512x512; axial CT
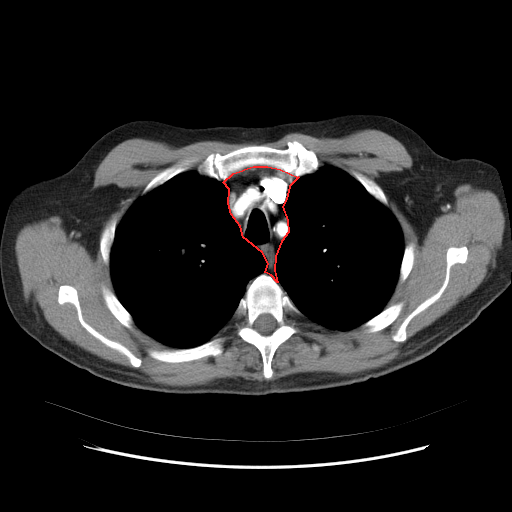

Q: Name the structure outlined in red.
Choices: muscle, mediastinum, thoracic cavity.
A: red: mediastinum.
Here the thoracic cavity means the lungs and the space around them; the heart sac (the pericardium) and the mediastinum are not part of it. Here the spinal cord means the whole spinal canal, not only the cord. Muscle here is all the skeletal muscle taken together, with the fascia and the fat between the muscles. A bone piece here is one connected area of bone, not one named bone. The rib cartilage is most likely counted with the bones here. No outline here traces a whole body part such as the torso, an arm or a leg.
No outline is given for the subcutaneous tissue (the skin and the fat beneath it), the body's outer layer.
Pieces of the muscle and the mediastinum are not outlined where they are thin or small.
{"mediastinum":[[[253,166],[267,166],[280,169],[298,177],[289,186],[286,199],[282,206],[287,220],[288,232],[281,241],[275,256],[274,270],[277,282],[271,275],[265,272],[268,263],[262,252],[243,237],[240,226],[231,214],[228,203],[229,189],[223,182],[233,173]]],"bones":[{"outer":[[263,273],[275,280],[302,314],[301,317],[295,319],[299,331],[276,348],[271,360],[273,373],[269,379],[266,379],[263,375],[263,361],[260,351],[254,345],[244,341],[236,333],[238,320],[234,317],[234,313],[241,298],[245,294],[247,286],[252,280]],"hole":[[261,314],[270,314],[275,319],[275,320],[276,321],[276,324],[277,325],[276,326],[276,327],[273,330],[273,331],[272,331],[269,334],[262,334],[261,333],[260,333],[257,330],[256,330],[254,328],[254,323],[255,322],[255,321],[256,320],[256,319]]},[[293,140],[298,141],[308,150],[312,150],[321,163],[318,169],[312,173],[295,176],[280,168],[267,165],[253,165],[233,172],[225,181],[222,181],[202,175],[197,171],[200,163],[211,153],[224,155],[249,145],[265,145],[284,149],[287,147],[287,142]],[[214,338],[223,338],[223,342],[221,345],[221,348],[223,351],[222,353],[215,356],[208,355],[198,359],[194,359],[189,361],[166,362],[153,358],[147,352],[148,348],[153,348],[159,350],[162,349],[173,349],[174,348],[176,349],[192,348],[199,346]],[[452,246],[466,246],[466,261],[464,263],[455,263],[450,267],[449,279],[445,289],[438,299],[416,314],[409,321],[406,326],[406,339],[404,341],[393,340],[392,335],[396,332],[407,316],[422,302],[433,295],[442,285],[446,272],[447,250],[449,247]],[[61,285],[70,285],[74,287],[77,291],[78,301],[83,319],[90,326],[108,339],[116,341],[126,347],[141,360],[140,366],[132,366],[128,358],[124,354],[106,345],[82,326],[78,319],[76,307],[72,303],[65,302],[60,304],[58,302],[58,290]],[[401,301],[403,302],[403,306],[398,316],[388,326],[378,331],[375,331],[374,332],[366,332],[365,330],[360,326],[362,324],[363,324],[374,316],[377,315],[386,307],[394,303],[396,303],[397,302],[400,302]],[[102,285],[104,285],[106,287],[107,287],[115,294],[116,297],[118,299],[120,303],[130,314],[134,322],[132,326],[132,328],[128,328],[124,325],[123,325],[114,316],[114,315],[107,307],[104,301],[103,296],[102,295],[102,290],[101,289],[101,287]],[[191,158],[195,159],[195,161],[187,170],[176,174],[162,184],[151,189],[146,193],[142,194],[142,191],[146,186],[146,185],[152,179],[152,178],[153,178],[163,169],[167,167],[169,167],[178,162],[180,162],[181,161],[183,161],[187,159],[190,159]],[[114,214],[116,214],[116,220],[117,221],[117,224],[116,225],[116,228],[115,229],[115,233],[114,234],[113,242],[112,243],[112,245],[110,249],[110,253],[109,254],[109,265],[106,265],[103,261],[102,255],[100,251],[100,235],[105,223]],[[352,171],[358,172],[368,177],[370,179],[373,180],[377,184],[378,184],[384,192],[387,198],[387,201],[388,202],[388,206],[384,205],[382,203],[378,201],[375,198],[374,198],[366,190],[366,189],[362,185],[362,184],[353,176],[351,172]],[[411,242],[413,243],[414,245],[414,250],[413,251],[414,253],[414,259],[413,260],[413,264],[411,270],[409,272],[405,280],[401,283],[399,283],[398,282],[398,279],[399,278],[399,273],[400,272],[400,266],[404,254],[404,249],[405,246]]],"thoracic_cavity":[[[192,170],[202,176],[221,181],[227,186],[230,214],[239,226],[242,237],[261,252],[267,266],[264,272],[249,282],[233,316],[213,337],[196,346],[176,348],[156,340],[135,323],[115,293],[110,273],[110,254],[117,225],[130,206],[140,196],[176,175]],[[325,164],[338,168],[352,176],[374,199],[387,207],[400,226],[404,243],[397,282],[385,307],[359,326],[347,330],[328,329],[304,317],[278,282],[275,270],[276,256],[279,247],[289,232],[288,220],[283,209],[288,196],[289,188],[299,177],[312,174]]],"muscle":[{"outer":[[364,129],[392,136],[411,156],[412,166],[390,172],[382,185],[420,240],[434,218],[452,208],[454,191],[461,184],[491,190],[504,216],[501,247],[483,281],[416,334],[419,347],[382,366],[343,375],[300,372],[270,379],[277,348],[300,331],[298,318],[333,331],[360,327],[374,333],[388,327],[404,302],[386,305],[415,259],[415,245],[411,241],[405,245],[380,185],[358,171],[351,175],[322,164],[298,140],[288,140],[284,148],[249,144],[224,154],[211,152],[196,170],[188,170],[195,158],[178,161],[151,178],[118,223],[114,213],[103,226],[127,192],[115,184],[92,188],[94,174],[108,152],[125,140],[143,138],[176,147],[205,140],[262,144],[294,132],[339,138]],"hole":[[452,246],[466,246],[466,261],[464,263],[455,263],[450,267],[449,279],[445,289],[438,299],[416,314],[409,321],[406,326],[406,339],[404,341],[393,340],[392,335],[396,332],[407,316],[422,302],[433,295],[442,285],[446,272],[447,250],[449,247]]},{"outer":[[51,216],[92,255],[99,237],[114,290],[100,287],[106,307],[126,328],[135,324],[173,348],[148,347],[150,357],[181,363],[218,356],[224,338],[214,336],[233,317],[237,336],[259,351],[265,380],[154,383],[61,336],[26,301],[15,254],[20,229]],"hole":[[61,285],[70,285],[74,287],[77,291],[78,301],[83,319],[90,326],[108,339],[116,341],[126,347],[141,360],[140,366],[132,366],[128,358],[124,354],[106,345],[82,326],[78,319],[76,307],[72,303],[65,302],[60,304],[58,302],[58,290]]}],"spinal_cord":[[[261,314],[270,314],[275,319],[275,320],[276,321],[276,324],[277,325],[276,326],[276,327],[273,330],[273,331],[272,331],[269,334],[262,334],[261,333],[260,333],[257,330],[256,330],[254,328],[254,323],[255,322],[255,321],[256,320],[256,319]]]}